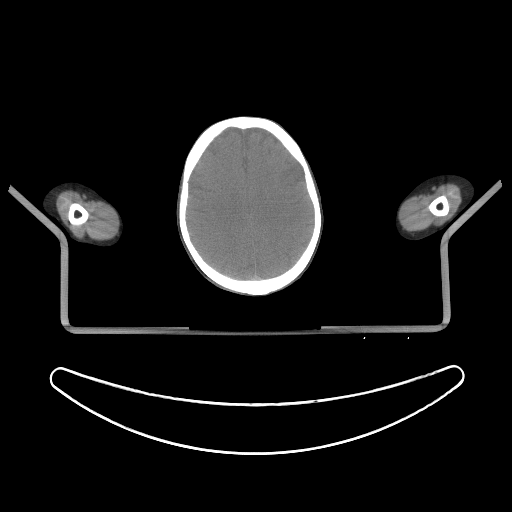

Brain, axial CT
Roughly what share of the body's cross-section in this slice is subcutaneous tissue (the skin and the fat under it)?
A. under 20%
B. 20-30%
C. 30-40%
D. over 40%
Answer: A. under 20%
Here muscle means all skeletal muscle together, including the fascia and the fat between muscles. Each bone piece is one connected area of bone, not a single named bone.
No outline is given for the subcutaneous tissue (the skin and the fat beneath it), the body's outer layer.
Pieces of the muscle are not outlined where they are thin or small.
Outlines:
muscle 1: 68 189; 72 189; 75 191; 78 191; 80 193; 84 193; 91 199; 100 200; 109 205; 115 211; 119 219; 119 230; 118 234; 114 238; 105 241; 95 241; 88 239; 84 240; 75 237; 71 231; 62 222; 55 207; 56 195; 61 191; inner edge: 72 203; 78 203; 79 204; 80 204; 84 208; 85 208; 86 209; 86 210; 89 214; 89 216; 88 217; 87 220; 84 223; 83 223; 80 225; 74 225; 73 224; 70 223; 70 222; 68 219; 67 214; 68 213; 69 206
muscle 2: 447 182; 453 182; 457 184; 460 187; 461 190; 462 202; 455 214; 449 220; 439 226; 431 225; 424 230; 415 232; 407 232; 403 230; 398 219; 399 210; 402 204; 411 196; 417 195; 421 193; 425 193; 433 185; 437 186; 439 184, around a hole outlined by 440 195; 444 195; 447 198; 447 200; 448 201; 448 203; 449 204; 449 210; 448 211; 448 212; 446 215; 444 215; 443 216; 436 216; 430 212; 430 211; 428 209; 428 206; 429 205; 429 204; 435 198; 436 198; 438 196; 439 196
brain: 228 128; 237 128; 241 130; 259 128; 265 130; 280 142; 301 166; 303 172; 305 188; 313 210; 311 234; 304 249; 294 263; 283 272; 274 276; 257 279; 241 279; 222 273; 204 259; 191 239; 186 216; 190 177; 208 146; 217 136
left arm: 445 173; 452 173; 461 175; 467 178; 472 183; 474 187; 474 196; 470 201; 468 207; 457 217; 453 224; 445 229; 440 230; 432 235; 420 240; 413 241; 403 238; 398 233; 395 227; 395 215; 399 203; 416 185; 423 180; 434 175
head: 234 116; 265 117; 280 124; 295 139; 301 148; 311 166; 322 198; 324 215; 323 233; 311 265; 303 276; 289 287; 271 295; 261 297; 236 295; 218 289; 206 281; 188 259; 176 228; 175 204; 178 182; 188 151; 205 128; 214 122
right arm: 65 181; 76 181; 83 183; 91 187; 100 195; 109 201; 117 209; 123 222; 123 232; 119 241; 117 243; 108 247; 100 247; 95 245; 76 242; 70 238; 67 238; 45 216; 41 210; 42 208; 42 202; 45 194; 53 186
bones 1: 234 116; 265 117; 280 124; 295 139; 301 148; 308 162; 320 202; 322 215; 320 236; 309 262; 291 283; 266 295; 248 295; 233 292; 212 281; 199 268; 190 255; 182 239; 178 223; 178 201; 182 170; 188 151; 205 128; 214 122; inner edge: 228 128; 237 128; 241 130; 259 128; 265 130; 280 142; 301 166; 303 172; 305 188; 313 210; 311 234; 304 249; 294 263; 283 272; 274 276; 257 279; 241 279; 222 273; 204 259; 191 239; 186 216; 190 177; 208 146; 217 136
bones 2: 72 203; 78 203; 79 204; 80 204; 84 208; 85 208; 86 209; 86 210; 89 214; 89 216; 88 217; 87 220; 84 223; 83 223; 80 225; 74 225; 73 224; 70 223; 70 222; 68 219; 67 214; 68 213; 69 206
bones 3: 440 195; 444 195; 447 198; 447 200; 448 201; 448 203; 449 204; 449 210; 448 211; 448 212; 446 215; 444 215; 443 216; 436 216; 430 212; 430 211; 428 209; 428 206; 429 205; 429 204; 435 198; 436 198; 438 196; 439 196